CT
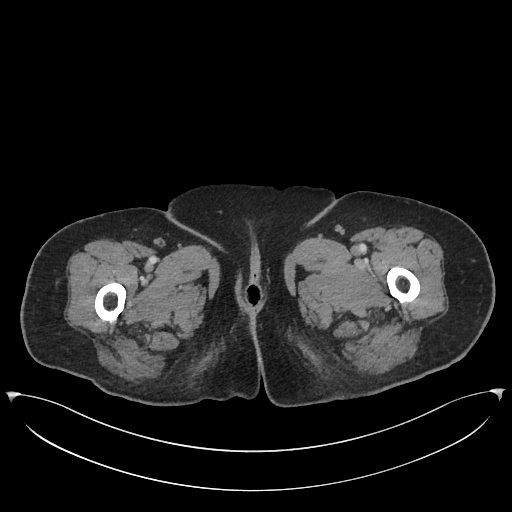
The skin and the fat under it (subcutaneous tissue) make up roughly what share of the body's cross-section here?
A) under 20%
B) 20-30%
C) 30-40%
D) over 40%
D) over 40%
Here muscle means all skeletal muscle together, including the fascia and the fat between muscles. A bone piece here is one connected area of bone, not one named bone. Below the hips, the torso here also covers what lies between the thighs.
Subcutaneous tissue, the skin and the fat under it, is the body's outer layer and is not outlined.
{"muscle":[{"outer":[[384,224],[414,226],[433,236],[441,245],[444,255],[444,284],[449,299],[449,307],[444,316],[422,330],[418,348],[410,360],[378,377],[360,376],[345,369],[333,360],[311,338],[286,287],[283,275],[283,260],[293,244],[309,235],[324,232],[343,235]],"hole":[[393,266],[400,266],[401,267],[404,267],[410,270],[417,277],[420,284],[420,289],[419,290],[419,293],[413,300],[409,302],[405,302],[401,304],[396,298],[395,298],[390,294],[389,292],[389,289],[387,285],[386,275],[387,274],[387,272]]},{"outer":[[103,237],[140,241],[155,247],[191,243],[202,244],[212,248],[220,259],[219,287],[209,307],[165,377],[156,383],[134,384],[108,371],[99,363],[93,343],[85,335],[69,326],[63,317],[63,310],[67,300],[65,268],[68,258],[77,247],[86,242]],"hole":[[113,281],[118,282],[123,285],[126,290],[126,299],[125,300],[125,303],[124,304],[123,310],[118,315],[116,321],[114,323],[111,323],[106,320],[102,320],[96,313],[95,311],[95,308],[94,307],[94,300],[95,299],[95,296],[97,291],[103,285]]}],"torso":[[[219,183],[246,183],[275,186],[278,188],[294,185],[308,185],[312,187],[329,188],[338,197],[336,202],[327,212],[309,222],[284,243],[257,258],[251,264],[245,258],[230,253],[197,232],[178,223],[172,218],[168,209],[170,200],[184,191],[199,185]]],"bones":[[[113,281],[118,282],[123,285],[126,290],[126,299],[125,300],[125,303],[124,304],[123,310],[118,315],[116,321],[114,323],[111,323],[106,320],[102,320],[96,313],[95,311],[95,308],[94,307],[94,300],[95,299],[95,296],[97,291],[103,285]],[[393,266],[400,266],[401,267],[404,267],[410,270],[417,277],[420,284],[420,289],[419,290],[419,293],[413,300],[409,302],[405,302],[401,304],[396,298],[395,298],[390,294],[389,292],[389,289],[387,285],[386,275],[387,274],[387,272]]],"right_leg":[[[138,206],[163,210],[167,206],[175,222],[252,266],[254,282],[248,293],[253,304],[253,337],[261,376],[253,399],[204,399],[177,406],[144,404],[106,393],[87,379],[42,365],[28,353],[20,326],[20,307],[28,271],[39,248],[57,230],[74,221]]],"left_leg":[[[357,190],[413,198],[441,207],[464,220],[483,242],[492,266],[495,278],[493,309],[475,344],[461,359],[446,368],[373,395],[295,407],[277,406],[266,394],[259,349],[254,337],[254,304],[259,298],[259,292],[254,285],[252,264],[327,213],[339,196]]]}